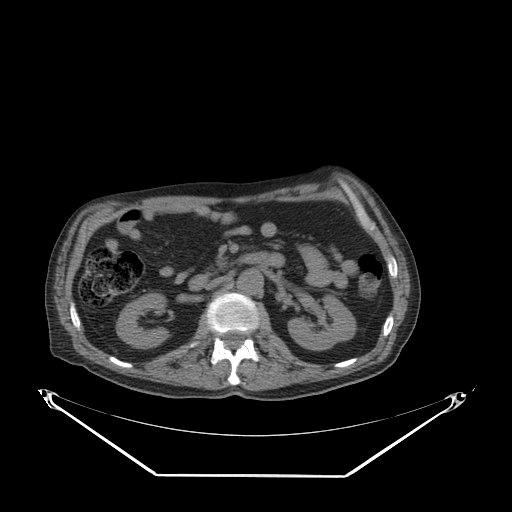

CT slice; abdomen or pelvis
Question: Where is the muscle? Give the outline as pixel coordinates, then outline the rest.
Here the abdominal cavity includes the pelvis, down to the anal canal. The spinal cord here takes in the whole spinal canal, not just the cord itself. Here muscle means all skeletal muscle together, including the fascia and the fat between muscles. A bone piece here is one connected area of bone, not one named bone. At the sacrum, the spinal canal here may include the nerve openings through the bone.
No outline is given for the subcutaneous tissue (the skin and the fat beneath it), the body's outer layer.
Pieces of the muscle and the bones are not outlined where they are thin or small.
Answer: {"muscle":[[[334,171],[350,175],[373,197],[403,250],[408,267],[410,294],[407,309],[391,351],[382,361],[338,377],[274,389],[252,391],[237,385],[241,383],[237,373],[240,362],[244,359],[254,362],[259,360],[250,335],[260,325],[258,303],[265,308],[276,335],[295,356],[309,363],[345,368],[353,364],[358,356],[371,350],[381,332],[384,337],[391,332],[394,317],[389,313],[393,302],[389,277],[398,276],[398,263],[391,253],[383,256],[377,243],[366,231],[373,231],[376,223],[351,187],[341,179],[339,185],[355,215],[342,202],[329,199],[133,206],[99,226],[89,237],[71,284],[73,301],[69,303],[69,315],[72,325],[78,331],[81,325],[87,339],[108,354],[110,362],[129,369],[133,366],[132,362],[150,361],[187,343],[205,310],[205,322],[214,335],[210,362],[213,365],[225,359],[229,362],[230,371],[226,378],[229,386],[205,389],[132,377],[94,363],[73,348],[70,336],[59,322],[53,286],[61,248],[70,227],[83,209],[106,200],[134,201],[168,195],[220,198],[254,195],[299,184],[322,183]]],"abdominal_cavity":[[[324,200],[340,202],[349,209],[378,246],[389,275],[391,307],[374,346],[365,353],[334,363],[305,361],[274,331],[264,305],[237,291],[217,294],[199,316],[187,342],[147,361],[122,360],[94,345],[84,333],[72,296],[74,277],[92,234],[128,208]]],"bones":[{"outer":[[226,292],[237,292],[253,300],[259,317],[257,329],[249,335],[253,340],[258,360],[244,358],[239,362],[236,373],[240,383],[236,385],[231,385],[227,380],[231,371],[227,359],[221,359],[214,364],[211,362],[215,335],[206,322],[208,304],[217,295]],"hole":[[229,331],[238,331],[239,332],[241,332],[242,333],[243,333],[245,335],[245,338],[243,340],[242,343],[238,347],[237,347],[235,349],[231,349],[230,348],[228,348],[227,347],[226,347],[225,346],[225,343],[221,337],[224,333],[226,333]]},[[340,180],[345,182],[350,187],[350,188],[355,194],[356,197],[360,202],[361,205],[365,210],[368,216],[375,223],[375,228],[373,230],[367,230],[365,229],[361,224],[360,221],[358,219],[356,215],[355,210],[352,205],[351,201],[340,185]],[[389,254],[391,254],[395,258],[395,260],[397,263],[397,268],[398,269],[398,273],[397,274],[397,276],[396,277],[392,277],[389,274],[389,272],[388,271],[388,268],[387,267],[387,264],[386,263],[386,261],[384,258],[384,257],[385,257]],[[72,301],[74,303],[74,304],[75,305],[75,308],[76,309],[77,314],[78,315],[78,316],[79,317],[79,319],[80,320],[80,329],[79,330],[78,330],[73,325],[73,324],[72,323],[72,321],[71,320],[71,316],[70,315],[70,303]],[[388,314],[391,314],[393,317],[393,325],[391,328],[391,330],[390,331],[390,332],[386,336],[384,336],[382,333],[382,327],[383,326],[383,324],[384,323],[384,322],[386,319],[386,317],[388,315]],[[110,355],[111,355],[112,356],[114,356],[116,358],[117,358],[122,361],[125,361],[126,362],[129,362],[132,364],[132,366],[129,368],[128,368],[127,367],[122,367],[121,366],[119,366],[118,365],[113,363],[111,361],[110,361],[109,360],[109,356]],[[353,357],[356,357],[357,358],[357,359],[353,363],[352,363],[351,364],[350,364],[349,365],[348,365],[345,367],[335,367],[334,366],[334,364],[337,362],[339,362],[340,361],[343,361],[344,360],[346,360],[347,359],[349,359],[350,358],[352,358]]],"torso":[[[327,161],[349,168],[374,188],[402,229],[416,261],[421,287],[417,321],[397,359],[386,370],[357,383],[289,400],[264,401],[236,395],[216,399],[169,398],[120,386],[50,353],[44,308],[48,259],[64,223],[80,204],[108,192],[172,183],[267,179]]],"spinal_cord":[[[229,331],[238,331],[239,332],[241,332],[242,333],[243,333],[245,335],[245,338],[243,340],[242,343],[238,347],[237,347],[235,349],[231,349],[230,348],[228,348],[227,347],[226,347],[225,346],[225,343],[221,337],[224,333],[226,333]]]}